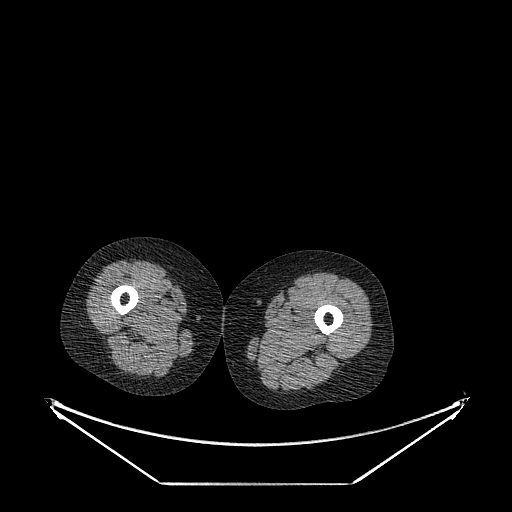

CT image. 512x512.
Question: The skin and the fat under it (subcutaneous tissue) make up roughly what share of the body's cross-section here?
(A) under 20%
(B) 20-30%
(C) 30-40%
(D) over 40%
Answer: (D) over 40%
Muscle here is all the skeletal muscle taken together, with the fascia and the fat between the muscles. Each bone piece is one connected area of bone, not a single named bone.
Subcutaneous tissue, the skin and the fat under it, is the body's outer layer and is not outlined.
{"muscle":[{"outer":[[313,269],[332,269],[348,274],[354,281],[365,287],[371,301],[374,319],[372,340],[369,346],[344,370],[344,373],[331,383],[323,385],[314,391],[292,395],[266,394],[255,381],[245,359],[243,352],[244,340],[253,330],[264,307],[280,286],[289,278]],"hole":[[325,304],[333,304],[337,306],[342,311],[342,313],[343,314],[343,321],[341,325],[334,331],[331,332],[328,335],[322,333],[319,329],[319,328],[316,325],[314,321],[314,316],[315,315],[316,310],[319,307]]},{"outer":[[122,256],[150,257],[173,269],[179,279],[190,305],[198,339],[196,351],[188,365],[171,378],[161,381],[144,382],[118,373],[116,369],[107,362],[108,360],[105,356],[95,331],[90,326],[91,323],[84,309],[86,293],[89,287],[89,284],[100,267]],"hole":[[121,284],[125,284],[126,285],[130,285],[131,286],[133,286],[138,293],[138,302],[133,308],[132,308],[127,313],[125,314],[120,314],[118,313],[116,311],[116,310],[111,305],[110,303],[110,299],[109,298],[110,297],[110,295],[113,289],[115,287]]}],"right_leg":[[[134,236],[158,237],[179,244],[192,253],[206,267],[222,294],[223,307],[220,335],[215,352],[203,372],[193,383],[178,392],[168,395],[137,395],[110,384],[75,363],[67,354],[60,337],[59,321],[62,304],[66,292],[81,265],[100,247],[116,240]]],"left_leg":[[[305,249],[329,250],[348,255],[363,263],[376,275],[384,288],[388,301],[394,333],[393,354],[383,379],[372,391],[362,397],[293,410],[272,409],[245,397],[237,389],[229,374],[223,340],[220,339],[224,302],[240,281],[262,264],[282,254]]],"bones":[[[325,304],[333,304],[337,306],[342,311],[342,313],[343,314],[343,321],[341,325],[334,331],[331,332],[328,335],[322,333],[319,329],[319,328],[316,325],[314,321],[314,316],[315,315],[316,310],[319,307]],[[121,284],[125,284],[126,285],[130,285],[131,286],[133,286],[138,293],[138,302],[133,308],[132,308],[127,313],[125,314],[120,314],[118,313],[116,311],[116,310],[111,305],[110,303],[110,299],[109,298],[110,297],[110,295],[113,289],[115,287]]]}